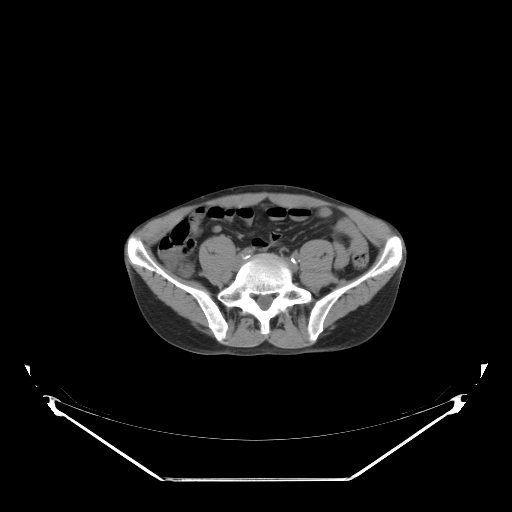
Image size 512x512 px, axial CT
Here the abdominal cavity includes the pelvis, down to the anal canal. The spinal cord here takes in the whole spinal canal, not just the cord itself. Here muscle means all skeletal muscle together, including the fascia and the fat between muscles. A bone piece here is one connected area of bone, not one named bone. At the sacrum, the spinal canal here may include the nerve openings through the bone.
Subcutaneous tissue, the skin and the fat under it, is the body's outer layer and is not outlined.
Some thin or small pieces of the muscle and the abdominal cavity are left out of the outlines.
The torso is outlined by [[247,183],[283,183],[311,188],[375,214],[389,221],[399,230],[407,248],[406,265],[391,314],[373,337],[355,347],[331,352],[285,356],[202,355],[188,352],[169,344],[150,328],[134,299],[122,257],[122,246],[130,231],[147,218],[194,197],[217,189]]. The abdominal cavity appears in 2 outlined pieces: piece 1: [[266,199],[347,215],[376,249],[373,263],[359,276],[333,273],[334,248],[323,238],[299,248],[303,287],[274,252],[253,254],[234,277],[236,247],[227,236],[210,236],[198,249],[199,274],[217,291],[179,277],[156,258],[154,245],[198,207],[253,206]]; piece 2: [[330,285],[333,285],[333,286],[331,286],[330,287],[330,290],[328,292],[327,292],[326,293],[325,293],[323,295],[321,295],[320,296],[319,296],[319,293],[320,292],[320,291],[321,290],[321,289],[322,289],[325,287],[327,287]]. The muscle appears in 4 outlined pieces: piece 1: [[247,192],[312,196],[356,209],[384,222],[396,232],[386,239],[372,266],[377,249],[344,212],[327,206],[280,205],[266,198],[253,205],[200,205],[179,218],[153,245],[155,258],[166,270],[217,292],[215,298],[220,303],[227,308],[239,308],[242,315],[252,315],[259,322],[260,333],[268,335],[272,318],[280,313],[287,314],[289,307],[307,304],[313,299],[312,293],[299,280],[300,248],[314,239],[330,242],[333,248],[332,273],[338,279],[354,279],[332,290],[333,284],[320,289],[307,320],[307,338],[314,343],[311,345],[282,348],[264,341],[251,347],[236,347],[220,343],[227,336],[228,323],[215,300],[206,290],[183,283],[169,274],[134,234],[149,221],[181,207]]; piece 2: [[127,256],[129,261],[133,265],[144,268],[151,272],[160,275],[177,288],[179,288],[191,295],[201,309],[206,319],[207,326],[212,332],[214,338],[198,331],[190,324],[187,319],[178,315],[169,306],[158,299],[150,290],[142,278],[132,267],[127,259]]; piece 3: [[210,237],[227,237],[229,240],[232,242],[235,247],[235,257],[234,258],[234,262],[232,268],[233,279],[229,284],[218,291],[219,289],[216,286],[213,285],[207,278],[200,274],[200,272],[202,269],[199,261],[199,249],[201,244],[206,239]]; piece 4: [[402,258],[402,261],[394,274],[369,302],[359,306],[345,316],[338,319],[335,322],[335,328],[332,329],[327,335],[318,338],[324,330],[324,322],[327,315],[342,295],[350,289],[358,286],[367,279],[373,278],[394,267],[397,267],[400,264]]. The spinal cord is outlined by [[273,293],[277,293],[278,294],[278,295],[272,299],[270,305],[266,309],[262,309],[257,303],[257,301],[250,296],[250,295],[251,294],[254,294],[256,296],[258,296],[259,295],[261,295],[262,296],[264,296],[265,295],[269,295],[270,294],[272,294]]. The bones appear in 3 outlined pieces: piece 1: [[258,253],[274,253],[283,258],[292,272],[292,282],[299,288],[308,290],[312,295],[311,301],[289,306],[287,313],[280,312],[272,317],[268,334],[261,333],[260,322],[252,314],[242,314],[239,307],[227,307],[216,298],[217,293],[234,279],[239,267]], around a hole outlined by [[273,293],[277,293],[278,294],[278,295],[272,299],[270,305],[266,309],[262,309],[257,303],[257,301],[250,296],[250,295],[251,294],[254,294],[256,296],[258,296],[259,295],[261,295],[262,296],[264,296],[265,295],[269,295],[270,294],[272,294]]; piece 2: [[395,234],[400,236],[403,244],[402,257],[399,264],[373,277],[367,278],[342,294],[326,315],[323,322],[323,330],[318,335],[317,339],[314,342],[311,342],[308,338],[307,328],[310,311],[315,302],[330,291],[350,283],[371,268],[379,259],[387,239]]; piece 3: [[131,234],[133,234],[142,242],[150,257],[169,275],[183,284],[204,290],[209,294],[217,304],[227,323],[226,336],[221,342],[216,340],[213,332],[208,326],[207,319],[202,309],[191,294],[177,287],[160,274],[133,264],[130,261],[126,252],[126,242]].